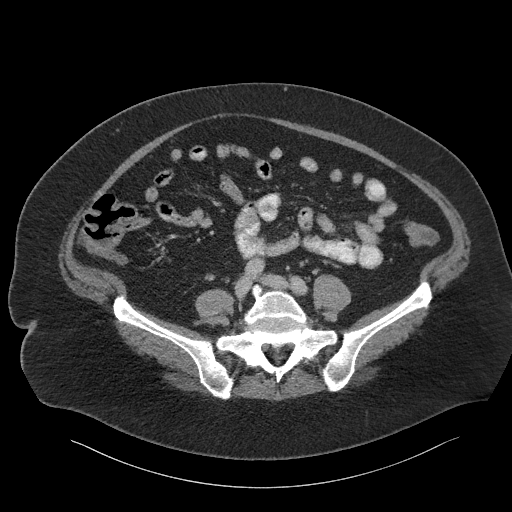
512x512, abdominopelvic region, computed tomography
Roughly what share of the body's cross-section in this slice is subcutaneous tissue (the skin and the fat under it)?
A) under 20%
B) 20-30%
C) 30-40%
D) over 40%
Answer: D) over 40%
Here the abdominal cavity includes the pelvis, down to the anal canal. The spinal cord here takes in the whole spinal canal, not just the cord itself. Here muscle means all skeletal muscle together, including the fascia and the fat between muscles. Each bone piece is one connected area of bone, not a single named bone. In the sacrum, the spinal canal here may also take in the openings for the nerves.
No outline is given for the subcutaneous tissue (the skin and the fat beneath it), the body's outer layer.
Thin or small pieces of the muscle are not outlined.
The bones are outlined by [[423,280],[432,292],[428,307],[370,337],[335,392],[321,372],[339,342],[279,382],[217,351],[234,380],[224,400],[200,382],[181,347],[119,321],[112,308],[122,294],[160,326],[214,343],[246,327],[258,284],[287,292],[311,328],[340,337],[391,311]] with a hole at [[287,343],[291,343],[293,344],[294,347],[288,354],[286,359],[283,362],[283,363],[278,366],[276,365],[274,365],[264,354],[262,350],[262,346],[264,344],[268,344],[274,347],[279,347]]. The muscle appears in 6 outlined pieces: piece 1: [[220,112],[246,112],[285,119],[331,131],[363,143],[434,185],[448,198],[462,217],[471,240],[468,266],[435,296],[433,305],[419,329],[376,361],[382,366],[379,374],[363,385],[349,388],[345,392],[339,391],[346,386],[355,372],[356,360],[362,347],[376,333],[400,318],[418,309],[429,307],[433,299],[433,292],[429,281],[423,279],[418,283],[420,271],[426,263],[450,247],[453,236],[448,220],[438,204],[419,187],[395,169],[351,147],[261,118],[242,115],[212,118],[194,123],[178,131],[148,152],[128,168],[109,188],[88,204],[81,214],[74,230],[71,249],[78,262],[84,266],[105,270],[118,276],[125,285],[129,300],[158,318],[185,326],[201,334],[217,336],[212,342],[206,339],[192,338],[162,326],[136,309],[122,293],[117,294],[111,303],[112,313],[119,322],[166,339],[187,353],[196,366],[199,382],[216,399],[198,393],[184,392],[159,380],[142,357],[123,342],[112,323],[111,315],[94,301],[75,295],[62,279],[57,255],[66,225],[82,203],[110,173],[135,150],[163,133],[191,120]]; piece 2: [[338,343],[338,348],[327,360],[320,372],[327,391],[278,401],[244,397],[231,398],[235,382],[234,377],[216,357],[217,352],[230,352],[241,358],[247,367],[259,367],[273,375],[275,381],[279,383],[287,372],[301,362],[308,364],[320,350]]; piece 3: [[322,274],[331,274],[339,278],[343,283],[345,284],[351,293],[351,301],[343,309],[338,312],[336,316],[336,320],[335,321],[333,320],[328,320],[322,317],[319,311],[316,308],[313,300],[313,297],[312,296],[313,294],[313,283],[315,279],[318,276]]; piece 4: [[216,288],[219,288],[220,289],[225,290],[231,294],[233,298],[233,312],[229,318],[228,324],[223,326],[198,326],[197,325],[195,325],[194,323],[198,317],[197,312],[195,309],[195,305],[194,304],[196,297],[202,292],[206,290],[215,289]]; piece 5: [[408,294],[395,307],[377,319],[359,328],[345,331],[340,336],[334,329],[331,328],[314,328],[308,324],[308,317],[309,317],[322,326],[328,328],[338,328],[339,327],[343,328],[346,326],[350,326],[362,316],[373,310],[381,308],[389,304],[392,304]]; piece 6: [[242,318],[243,318],[243,321],[245,323],[245,327],[241,331],[240,331],[239,332],[237,332],[236,333],[229,333],[228,334],[227,334],[227,332],[230,329],[230,328],[233,325],[233,324],[236,321],[237,321],[238,320],[239,320],[240,319],[241,319]]. The spinal cord is outlined by [[287,343],[291,343],[293,344],[294,347],[288,354],[286,359],[283,362],[283,363],[278,366],[276,365],[274,365],[264,354],[262,350],[262,346],[264,344],[268,344],[274,347],[279,347]]. The abdominal cavity is outlined by [[231,116],[261,119],[331,141],[395,170],[437,204],[450,227],[451,244],[421,267],[409,293],[343,327],[322,325],[287,291],[264,290],[258,283],[243,317],[219,336],[145,310],[130,300],[118,275],[75,258],[78,223],[88,205],[166,140],[194,124]], around a hole outlined by [[322,274],[331,274],[339,278],[343,283],[345,284],[351,293],[351,301],[343,309],[338,312],[336,316],[336,320],[335,321],[333,320],[328,320],[322,317],[319,311],[316,308],[313,300],[313,297],[312,296],[313,294],[313,283],[315,279],[318,276]]. The torso is outlined by [[239,82],[293,83],[355,98],[429,135],[467,166],[492,209],[511,270],[511,353],[486,400],[458,405],[391,435],[335,452],[241,460],[158,445],[38,399],[20,364],[26,330],[13,323],[7,304],[16,226],[30,191],[72,144],[123,109],[178,90]].